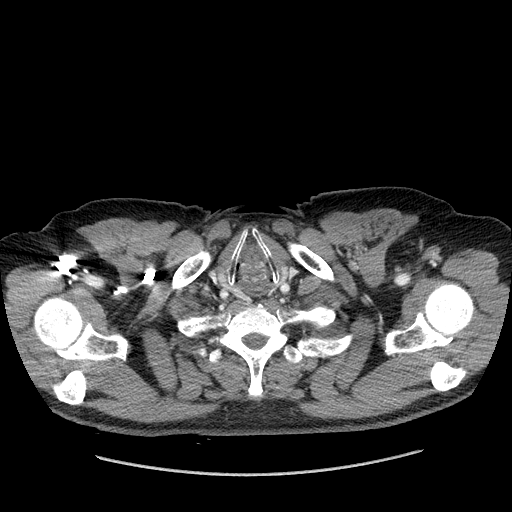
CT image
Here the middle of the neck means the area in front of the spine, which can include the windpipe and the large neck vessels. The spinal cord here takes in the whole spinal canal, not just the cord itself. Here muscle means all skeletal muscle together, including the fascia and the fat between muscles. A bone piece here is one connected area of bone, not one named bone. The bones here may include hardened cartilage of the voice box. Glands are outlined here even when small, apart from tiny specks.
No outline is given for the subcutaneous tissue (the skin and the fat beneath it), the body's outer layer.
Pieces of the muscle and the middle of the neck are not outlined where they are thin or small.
Outlined structures:
right arm: (48, 221) (58, 226) (67, 233) (82, 249) (95, 281) (98, 296) (98, 310) (94, 324) (88, 335) (72, 353) (65, 357) (27, 371) (23, 365) (11, 333) (8, 319) (5, 315) (6, 311) (3, 305) (3, 291) (0, 273) (0, 239) (3, 236) (15, 231) (37, 230)
muscle: (374, 207) (416, 214) (414, 235) (442, 250) (472, 247) (499, 259) (499, 273) (509, 287) (500, 334) (487, 365) (463, 383) (464, 367) (435, 360) (428, 378) (438, 392) (389, 413) (322, 419) (283, 399) (263, 399) (224, 403) (205, 417) (146, 423) (72, 406) (80, 406) (86, 396) (83, 369) (50, 385) (56, 399) (34, 384) (23, 365) (3, 305) (6, 275) (73, 247) (82, 225) (110, 217) (175, 220) (184, 228) (222, 218) (315, 223) (330, 211), around holes outlined by (252, 228) (299, 271) (291, 291) (261, 303) (272, 313) (279, 307) (332, 308) (334, 320) (321, 329) (307, 321) (290, 324) (296, 337) (353, 335) (345, 350) (323, 358) (304, 355) (293, 363) (281, 350) (274, 352) (263, 367) (261, 397) (248, 394) (250, 370) (239, 354) (221, 346) (222, 356) (213, 363) (194, 352) (217, 346) (207, 340) (223, 327) (189, 337) (176, 326) (177, 318) (234, 314) (246, 305) (218, 296) (205, 276) (234, 249) (242, 231) and by (57, 295) (61, 295) (65, 299) (72, 302) (83, 317) (90, 322) (92, 327) (97, 332) (103, 335) (119, 333) (125, 337) (129, 343) (126, 359) (123, 360) (118, 357) (112, 357) (105, 360) (67, 359) (40, 341) (32, 329) (35, 310) (44, 299) and by (444, 281) (452, 281) (458, 283) (465, 288) (471, 296) (475, 310) (468, 325) (460, 330) (446, 345) (435, 346) (429, 349) (413, 352) (393, 353) (387, 355) (385, 353) (384, 345) (384, 338) (386, 333) (392, 329) (405, 329) (412, 324) (417, 313) (422, 309) (428, 295) and by (201, 248) (207, 250) (211, 254) (212, 256) (212, 261) (210, 264) (193, 280) (184, 286) (180, 290) (177, 290) (176, 289) (173, 289) (172, 290) (171, 289) (171, 282) (174, 273) (176, 270) (183, 262) (184, 262) (189, 257) (195, 254) and by (288, 241) (299, 243) (307, 247) (314, 253) (321, 257) (331, 268) (333, 272) (333, 274) (334, 275) (334, 281) (326, 280) (317, 276) (315, 274) (312, 273) (309, 270) (308, 270) (299, 262) (298, 262) (291, 255) (291, 254) (288, 250) (288, 248) (286, 244)
spinal cord: (251, 333) (257, 333) (258, 334) (261, 334) (262, 335) (265, 336) (267, 338) (266, 339) (264, 344) (261, 347) (260, 347) (259, 348) (256, 348) (255, 349) (254, 348) (251, 348) (250, 347) (249, 347) (243, 341) (243, 337) (244, 336) (245, 336) (248, 334) (250, 334)
left arm: (452, 206) (457, 211) (463, 213) (490, 215) (497, 217) (505, 222) (510, 228) (511, 273) (508, 286) (509, 294) (507, 307) (502, 321) (500, 334) (491, 354) (491, 358) (485, 369) (477, 366) (442, 344) (429, 330) (419, 305) (418, 278) (422, 259) (433, 232)
middle of the neck: (249, 234) (261, 249) (275, 284) (280, 278) (282, 281) (289, 278) (289, 268) (280, 264) (279, 270) (265, 243) (299, 271) (291, 291) (259, 303) (227, 301) (206, 284) (205, 276) (232, 250) (228, 264) (219, 268) (217, 277) (225, 288) (234, 283) (240, 253)
bones 1: (246, 303) (272, 313) (324, 305) (335, 311) (331, 323) (302, 321) (291, 333) (353, 338) (338, 354) (296, 363) (274, 352) (262, 396) (252, 397) (239, 354) (221, 346) (213, 363) (194, 352) (217, 346) (207, 340) (223, 327) (189, 337) (176, 326) (177, 318) (234, 314) with a hole at (251, 333) (257, 333) (258, 334) (261, 334) (262, 335) (265, 336) (267, 338) (266, 339) (264, 344) (261, 347) (260, 347) (259, 348) (256, 348) (255, 349) (254, 348) (251, 348) (250, 347) (249, 347) (243, 341) (243, 337) (244, 336) (245, 336) (248, 334) (250, 334)
bones 2: (57, 295) (61, 295) (65, 299) (72, 302) (83, 317) (90, 322) (92, 327) (97, 332) (103, 335) (119, 333) (125, 337) (129, 343) (126, 359) (123, 360) (118, 357) (112, 357) (105, 360) (67, 359) (40, 341) (32, 329) (35, 310) (44, 299)
bones 3: (444, 281) (452, 281) (458, 283) (465, 288) (471, 296) (475, 310) (468, 325) (460, 330) (446, 345) (435, 346) (429, 349) (413, 352) (393, 353) (387, 355) (385, 353) (384, 345) (384, 338) (386, 333) (392, 329) (405, 329) (412, 324) (417, 313) (422, 309) (428, 295)
bones 4: (76, 369) (83, 370) (83, 373) (86, 377) (86, 386) (87, 388) (86, 389) (86, 392) (85, 393) (85, 396) (83, 402) (80, 405) (70, 405) (67, 403) (60, 401) (55, 396) (53, 393) (53, 390) (51, 387) (51, 385) (54, 383) (57, 383) (61, 381) (68, 373)
bones 5: (252, 228) (256, 228) (260, 233) (277, 265) (280, 277) (277, 283) (273, 281) (272, 273) (269, 269) (264, 253) (256, 240) (249, 233) (240, 250) (236, 263) (234, 281) (231, 285) (227, 279) (227, 268) (232, 252) (242, 231) (244, 229) (250, 231)
bones 6: (201, 248) (207, 250) (211, 254) (212, 256) (212, 261) (210, 264) (193, 280) (184, 286) (180, 290) (177, 290) (176, 289) (173, 289) (172, 290) (171, 289) (171, 282) (174, 273) (176, 270) (183, 262) (184, 262) (189, 257) (195, 254)
bones 7: (288, 241) (299, 243) (307, 247) (314, 253) (321, 257) (331, 268) (333, 272) (333, 274) (334, 275) (334, 281) (326, 280) (317, 276) (315, 274) (312, 273) (309, 270) (308, 270) (299, 262) (298, 262) (291, 255) (291, 254) (288, 250) (288, 248) (286, 244)
bones 8: (435, 361) (443, 361) (444, 362) (446, 362) (451, 366) (453, 366) (454, 367) (462, 367) (467, 371) (467, 373) (465, 377) (460, 382) (460, 383) (455, 387) (447, 389) (441, 392) (436, 391) (436, 390) (432, 385) (431, 381) (429, 378) (430, 369) (433, 363)
torso: (393, 185) (452, 205) (426, 244) (417, 300) (430, 333) (484, 370) (463, 401) (377, 430) (135, 437) (62, 419) (29, 376) (72, 354) (99, 310) (83, 249) (49, 220) (57, 212) (108, 197) (212, 211) (245, 204) (246, 210) (278, 212) (275, 205) (294, 208) (320, 192)
thyroid glands 1: (222, 266) (225, 266) (226, 267) (227, 266) (227, 267) (226, 268) (226, 279) (227, 280) (227, 283) (226, 284) (226, 286) (225, 287) (222, 284) (221, 284) (221, 283) (219, 280) (219, 278) (218, 277) (218, 274) (219, 273) (219, 271) (220, 270) (220, 268)
thyroid glands 2: (280, 265) (283, 265) (284, 266) (286, 266) (288, 268) (288, 278) (287, 279) (286, 279) (285, 280) (282, 280) (281, 279) (281, 274) (280, 273)